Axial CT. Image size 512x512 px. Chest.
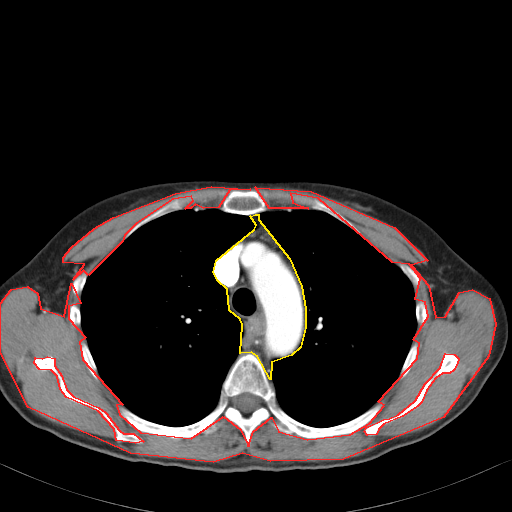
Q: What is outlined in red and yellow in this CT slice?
A: red: muscle; yellow: mediastinum.
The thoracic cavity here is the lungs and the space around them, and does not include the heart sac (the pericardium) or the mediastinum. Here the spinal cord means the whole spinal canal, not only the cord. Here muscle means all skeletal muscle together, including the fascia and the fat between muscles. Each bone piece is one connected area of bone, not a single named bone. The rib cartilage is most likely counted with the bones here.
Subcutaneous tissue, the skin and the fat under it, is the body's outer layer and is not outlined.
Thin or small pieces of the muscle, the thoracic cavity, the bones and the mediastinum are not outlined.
The muscle appears in 2 outlined pieces: piece 1: (255, 187) (311, 191) (394, 227) (427, 260) (411, 265) (428, 285) (435, 317) (445, 316) (459, 292) (472, 289) (489, 298) (495, 324) (488, 356) (443, 417) (343, 459) (270, 461) (242, 453) (213, 462) (130, 453) (28, 407) (0, 352) (0, 303) (11, 289) (27, 286) (37, 293) (40, 308) (64, 316) (71, 283) (80, 303) (68, 306) (68, 318) (85, 337) (79, 342) (82, 359) (122, 404) (116, 405) (119, 414) (140, 432) (191, 438) (223, 416) (240, 429) (248, 446) (253, 431) (271, 417) (278, 431) (307, 439) (350, 434) (369, 423) (384, 405) (378, 401) (417, 358) (419, 343) (413, 339) (428, 316) (425, 302) (415, 299) (420, 278) (409, 264) (392, 262) (318, 198) (290, 193) (292, 202) (308, 208) (269, 208), around holes outlined by (47, 356) (54, 358) (54, 365) (61, 375) (66, 389) (73, 396) (98, 407) (105, 412) (119, 430) (123, 433) (133, 433) (143, 441) (135, 443) (116, 440) (114, 429) (98, 411) (66, 397) (60, 389) (57, 376) (51, 370) (39, 369) (34, 363) (35, 357) (42, 358) and by (445, 353) (454, 354) (458, 358) (457, 363) (453, 370) (449, 373) (442, 373) (435, 378) (426, 390) (421, 402) (417, 406) (402, 416) (383, 424) (378, 429) (376, 434) (367, 435) (364, 431) (366, 427) (383, 419) (389, 418) (398, 414) (415, 400) (425, 383) (440, 367); piece 2: (211, 186) (250, 189) (229, 190) (218, 207) (203, 208) (195, 204) (190, 208) (185, 208) (193, 200) (191, 196) (172, 199) (136, 223) (124, 235) (122, 241) (88, 275) (83, 270) (73, 279) (84, 264) (63, 262) (63, 257) (71, 247) (94, 228) (113, 217) (175, 193). The mediastinum is outlined by (255, 214) (258, 214) (258, 219) (289, 258) (301, 286) (305, 308) (305, 327) (300, 347) (291, 355) (271, 362) (270, 379) (257, 356) (251, 352) (240, 353) (242, 324) (240, 319) (229, 310) (227, 289) (218, 281) (213, 272) (216, 260) (254, 229) (256, 225) (250, 216). The thoracic cavity appears in 2 outlined pieces: piece 1: (195, 205) (249, 216) (255, 225) (215, 260) (212, 269) (217, 281) (226, 289) (228, 310) (240, 321) (241, 349) (222, 382) (214, 408) (195, 422) (172, 426) (132, 412) (102, 379) (81, 325) (81, 294) (88, 276) (96, 266) (137, 229) (168, 213) (190, 209); piece 2: (284, 206) (322, 211) (345, 224) (397, 266) (413, 286) (417, 325) (396, 379) (364, 412) (331, 426) (312, 426) (290, 416) (277, 402) (276, 392) (270, 381) (272, 362) (291, 356) (301, 347) (306, 327) (306, 308) (297, 272) (290, 258) (258, 216) (259, 213) (281, 209). The torso is outlined by (183, 180) (337, 184) (377, 195) (425, 221) (493, 284) (506, 310) (508, 339) (505, 350) (473, 402) (430, 436) (374, 459) (330, 468) (282, 471) (255, 469) (220, 473) (133, 462) (66, 441) (27, 422) (0, 392) (0, 284) (31, 259) (68, 220) (91, 204) (128, 189). The spinal cord is outlined by (245, 392) (250, 393) (259, 398) (259, 404) (258, 405) (257, 408) (256, 408) (253, 411) (252, 411) (248, 414) (244, 414) (242, 412) (241, 412) (235, 406) (235, 405) (234, 404) (235, 403) (235, 399) (234, 398) (236, 396) (237, 396) (242, 393) (244, 393). The bones appear in 10 outlined pieces: piece 1: (247, 353) (261, 362) (278, 405) (305, 425) (339, 425) (380, 401) (383, 405) (364, 426) (325, 437) (288, 435) (272, 425) (273, 416) (252, 431) (248, 445) (241, 429) (223, 415) (191, 437) (140, 431) (117, 405) (157, 424) (190, 425) (215, 408) (230, 368) (240, 354), around a hole outlined by (245, 392) (250, 393) (259, 398) (259, 404) (258, 405) (257, 408) (256, 408) (253, 411) (252, 411) (248, 414) (244, 414) (242, 412) (241, 412) (235, 406) (235, 405) (234, 404) (235, 403) (235, 399) (234, 398) (236, 396) (237, 396) (242, 393) (244, 393); piece 2: (234, 189) (237, 189) (238, 190) (250, 190) (251, 189) (256, 190) (265, 198) (268, 209) (265, 211) (262, 211) (261, 212) (251, 214) (250, 215) (231, 213) (230, 212) (226, 212) (221, 210) (219, 208) (219, 206) (222, 202) (224, 197) (229, 191); piece 3: (47, 356) (54, 358) (54, 365) (61, 375) (66, 389) (73, 396) (98, 407) (105, 412) (119, 430) (123, 433) (133, 433) (143, 441) (135, 443) (116, 440) (114, 429) (98, 411) (66, 397) (60, 389) (57, 376) (51, 370) (39, 369) (34, 363) (35, 357) (42, 358); piece 4: (445, 353) (454, 354) (458, 358) (457, 363) (453, 370) (449, 373) (442, 373) (435, 378) (426, 390) (421, 402) (417, 406) (402, 416) (383, 424) (378, 429) (376, 434) (367, 435) (364, 431) (366, 427) (383, 419) (389, 418) (398, 414) (415, 400) (425, 383) (440, 367); piece 5: (290, 194) (297, 194) (302, 196) (307, 196) (311, 198) (316, 198) (318, 199) (323, 203) (333, 208) (345, 218) (350, 221) (358, 229) (362, 236) (358, 234) (345, 223) (342, 222) (330, 214) (322, 210) (309, 208) (306, 205) (299, 204) (292, 201) (288, 197) (288, 195); piece 6: (187, 197) (191, 197) (192, 198) (192, 200) (188, 203) (184, 208) (168, 212) (163, 215) (161, 215) (154, 219) (152, 219) (148, 221) (137, 228) (123, 240) (125, 235) (136, 224) (153, 213) (156, 210) (159, 209) (174, 199) (176, 199) (177, 198) (186, 198); piece 7: (82, 340) (86, 342) (87, 344) (87, 346) (89, 349) (89, 351) (92, 356) (92, 358) (97, 368) (97, 372) (99, 376) (99, 380) (98, 381) (94, 378) (94, 377) (89, 371) (83, 359) (83, 357) (81, 354) (81, 351) (80, 350) (80, 342); piece 8: (414, 342) (417, 342) (418, 343) (418, 352) (417, 353) (416, 358) (415, 359) (413, 364) (411, 366) (410, 369) (408, 371) (408, 372) (401, 379) (399, 379) (398, 376) (400, 373) (401, 368) (404, 363) (404, 361) (407, 356) (407, 354) (408, 353) (412, 344); piece 9: (400, 262) (403, 262) (404, 263) (405, 263) (406, 264) (409, 265) (416, 272) (416, 273) (417, 274) (417, 275) (419, 278) (419, 284) (417, 286) (414, 286) (412, 284) (411, 281) (408, 278) (408, 277) (402, 271) (402, 270) (398, 266) (398, 264); piece 10: (83, 271) (85, 271) (86, 272) (87, 274) (87, 277) (86, 278) (85, 283) (83, 286) (83, 288) (81, 291) (81, 293) (80, 294) (78, 294) (76, 295) (74, 294) (73, 292) (73, 290) (72, 289) (72, 283) (73, 282) (73, 280) (81, 272).